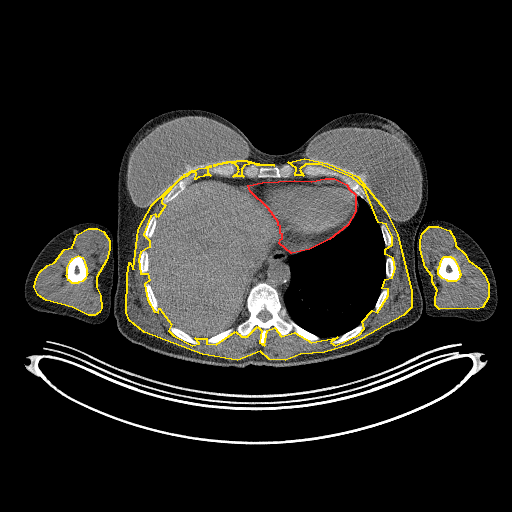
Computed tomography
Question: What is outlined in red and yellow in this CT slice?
Answer: red: pericardium; yellow: muscle.
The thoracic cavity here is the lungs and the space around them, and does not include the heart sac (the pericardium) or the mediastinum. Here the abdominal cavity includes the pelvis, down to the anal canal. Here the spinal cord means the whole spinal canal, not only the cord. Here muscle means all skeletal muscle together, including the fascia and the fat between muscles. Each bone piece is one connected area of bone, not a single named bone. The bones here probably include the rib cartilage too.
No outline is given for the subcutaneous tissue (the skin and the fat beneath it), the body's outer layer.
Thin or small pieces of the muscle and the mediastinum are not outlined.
{"pericardium":[[[325,178],[334,178],[346,184],[349,189],[355,194],[355,211],[347,225],[329,239],[309,249],[291,253],[279,243],[280,239],[282,238],[282,234],[280,233],[280,226],[278,225],[278,222],[268,208],[250,191],[248,185],[262,182],[294,180],[311,181]]],"muscle":[[[304,158],[327,163],[357,176],[385,210],[397,234],[411,291],[411,307],[403,315],[351,344],[324,352],[300,354],[285,360],[269,359],[260,351],[237,360],[202,354],[144,332],[129,320],[126,312],[127,275],[129,262],[133,269],[138,229],[152,204],[179,179],[162,197],[161,202],[165,205],[157,217],[155,214],[150,216],[143,234],[149,240],[149,247],[140,252],[138,259],[140,273],[147,273],[149,280],[144,284],[147,299],[154,311],[158,312],[159,308],[171,324],[168,330],[173,335],[192,345],[199,343],[195,338],[206,338],[206,343],[216,344],[235,331],[241,336],[247,336],[257,326],[261,330],[259,342],[264,345],[267,330],[274,327],[281,336],[294,332],[311,342],[337,337],[330,342],[335,345],[359,334],[364,328],[362,321],[372,310],[377,312],[388,295],[388,289],[382,288],[385,279],[392,277],[395,268],[393,258],[385,254],[385,249],[392,244],[392,236],[386,224],[378,222],[364,187],[352,177],[319,164],[305,164],[299,169],[303,175],[295,175],[296,168],[288,162]],{"outer":[[88,228],[97,228],[103,231],[109,240],[109,249],[106,260],[96,277],[96,287],[100,295],[101,308],[99,312],[94,315],[88,315],[72,307],[46,300],[38,295],[34,287],[36,278],[40,271],[47,265],[54,262],[64,249],[72,247],[77,234]],"hole":[[78,255],[82,257],[84,261],[85,266],[86,267],[86,272],[87,273],[86,274],[85,278],[82,281],[78,282],[77,283],[72,283],[69,280],[68,280],[67,276],[66,275],[67,273],[67,267],[70,261],[72,259],[72,258]]},{"outer":[[429,226],[438,226],[449,230],[454,238],[455,245],[464,253],[468,260],[479,268],[484,274],[488,284],[488,297],[482,307],[477,309],[467,308],[439,309],[435,305],[435,297],[437,290],[432,282],[432,276],[425,267],[420,249],[420,240],[422,233]],"hole":[[444,256],[450,256],[451,257],[452,257],[454,259],[454,260],[458,267],[458,269],[459,270],[459,272],[460,273],[460,275],[459,276],[458,279],[455,281],[448,281],[447,280],[442,278],[438,274],[438,268],[440,265],[440,262],[441,261],[442,258]]},[[237,160],[246,160],[247,161],[250,161],[251,162],[253,162],[254,163],[258,163],[259,164],[274,165],[257,165],[254,163],[249,163],[248,164],[244,165],[241,169],[241,174],[243,176],[233,176],[235,174],[236,174],[239,170],[238,169],[238,167],[234,163],[232,163],[231,162],[226,162],[225,163],[222,163],[221,164],[217,164],[216,165],[213,165],[215,165],[216,164],[219,163],[222,163],[223,162],[227,162],[228,161],[236,161]],[[207,166],[211,166],[209,166],[207,168],[207,172],[210,175],[204,175],[203,176],[198,177],[195,179],[196,173],[195,172],[190,172],[186,176],[182,178],[180,178],[181,178],[182,176],[184,175],[184,174],[191,170],[194,170],[198,168],[206,167]]],"breast_implant":[[[186,116],[206,117],[225,125],[234,131],[245,142],[248,147],[249,156],[246,159],[228,160],[212,165],[191,169],[172,182],[169,187],[150,205],[146,206],[136,205],[131,198],[127,186],[129,159],[133,149],[151,130],[158,125],[176,118]],[[345,127],[373,128],[387,132],[391,134],[398,141],[404,144],[417,159],[421,172],[421,200],[416,211],[408,219],[404,221],[393,220],[389,216],[373,192],[361,178],[357,175],[327,162],[313,160],[307,157],[305,151],[309,144],[317,136],[328,130]]],"bones":[{"outer":[[259,282],[266,282],[275,288],[291,319],[319,339],[311,341],[294,331],[281,335],[271,326],[266,330],[265,343],[262,344],[262,330],[255,325],[247,335],[241,335],[235,330],[220,342],[206,342],[207,338],[234,327],[246,317],[246,299],[250,289]],"hole":[[262,310],[266,310],[267,311],[268,311],[270,313],[270,314],[271,315],[271,317],[269,319],[268,319],[267,320],[266,320],[265,321],[263,321],[261,319],[260,319],[257,316],[257,315]]},[[305,165],[319,165],[323,166],[329,169],[337,171],[342,174],[345,174],[352,178],[363,187],[365,190],[365,196],[367,201],[365,199],[358,196],[350,189],[344,181],[338,177],[327,176],[326,175],[319,175],[318,176],[310,177],[302,174],[300,169]],[[286,163],[292,165],[295,168],[296,170],[295,171],[295,174],[293,176],[291,176],[290,177],[246,177],[242,174],[242,169],[243,167],[249,164],[254,164],[257,166],[274,166],[275,165],[277,166],[281,166],[283,164],[285,164]],[[78,255],[82,257],[84,261],[85,266],[86,267],[86,272],[87,273],[86,274],[85,278],[82,281],[78,282],[77,283],[72,283],[69,280],[68,280],[67,276],[66,275],[67,273],[67,267],[70,261],[72,259],[72,258]],[[444,256],[450,256],[451,257],[452,257],[454,259],[454,260],[458,267],[458,269],[459,270],[459,272],[460,273],[460,275],[459,276],[458,279],[455,281],[448,281],[447,280],[442,278],[438,274],[438,268],[440,265],[440,262],[441,261],[442,258]],[[190,173],[195,173],[195,176],[194,177],[194,179],[192,181],[191,181],[177,196],[176,196],[171,201],[168,202],[166,204],[164,204],[162,202],[162,200],[163,199],[163,197],[170,190],[170,189],[180,179],[182,179],[183,178],[186,177]],[[226,163],[231,163],[232,164],[234,164],[237,167],[237,169],[238,170],[237,172],[232,176],[226,177],[225,176],[220,176],[219,175],[211,175],[208,172],[208,168],[209,167],[211,167],[212,166],[216,166],[217,165],[221,165],[222,164],[225,164]],[[360,324],[362,324],[363,325],[363,328],[361,330],[361,331],[355,336],[354,336],[345,341],[343,341],[340,343],[336,343],[335,344],[334,344],[331,342],[334,339],[337,338],[339,336],[342,335],[344,333],[353,329],[355,327],[356,327]],[[170,326],[174,326],[182,330],[184,332],[189,334],[192,337],[193,337],[196,340],[197,340],[198,341],[198,343],[196,344],[192,344],[189,342],[187,342],[179,338],[177,336],[173,334],[169,330],[169,327]],[[146,283],[149,283],[149,284],[151,286],[151,288],[153,291],[153,293],[157,300],[157,303],[158,304],[158,311],[155,311],[155,310],[152,307],[152,306],[148,299],[148,297],[146,294],[146,291],[145,290],[145,284]],[[143,250],[146,250],[147,251],[147,253],[148,254],[148,271],[146,273],[141,273],[141,272],[140,271],[140,270],[139,269],[139,259],[140,258],[140,255],[141,254],[141,252]],[[152,215],[155,215],[156,216],[156,223],[155,224],[155,229],[153,232],[153,234],[152,235],[152,236],[149,239],[146,239],[144,236],[144,234],[145,233],[145,230],[146,229],[146,227],[148,224],[148,222],[149,221],[149,220],[150,219],[150,218]],[[382,223],[384,223],[385,224],[385,225],[391,236],[391,244],[390,245],[390,246],[389,246],[388,247],[386,247],[385,246],[385,244],[384,243],[384,240],[383,239],[383,236],[382,235],[382,232],[381,231],[381,228],[380,227],[380,224],[381,224]],[[388,256],[390,256],[392,258],[392,259],[393,260],[393,263],[394,264],[394,268],[393,269],[393,273],[392,274],[392,275],[391,276],[391,277],[390,278],[387,278],[386,277],[386,274],[385,273],[385,263],[386,262],[386,258]],[[384,288],[386,288],[387,289],[387,295],[386,296],[386,297],[385,298],[385,300],[384,301],[383,304],[381,306],[381,307],[377,311],[376,311],[375,312],[374,311],[374,306],[377,301],[377,299],[378,298],[378,297],[379,296],[382,289],[383,289]]],"right_arm":[[[84,222],[94,222],[105,226],[111,232],[114,245],[113,281],[111,288],[111,296],[113,297],[113,313],[113,310],[111,309],[108,317],[103,322],[95,325],[91,325],[64,315],[34,310],[28,305],[24,297],[24,284],[27,273],[42,248],[61,231]]],"abdominal_cavity":[[[198,178],[213,178],[238,186],[247,185],[249,191],[273,216],[281,234],[281,238],[259,262],[253,274],[251,287],[245,299],[245,308],[237,323],[208,337],[194,337],[172,325],[159,307],[148,275],[150,239],[156,229],[157,218],[160,212],[191,182]]],"mediastinum":[[[278,243],[281,247],[291,254],[299,252],[292,254],[288,259],[290,280],[289,281],[289,285],[282,296],[282,299],[281,299],[277,289],[266,281],[259,281],[252,286],[252,281],[254,279],[254,274],[258,266],[260,265],[260,262],[268,255],[270,250]],[[356,195],[357,196],[357,201],[358,202],[358,208],[357,209],[357,211],[356,212],[356,214],[355,215],[355,217],[353,219],[353,220],[349,224],[349,225],[345,229],[344,229],[348,225],[348,224],[352,219],[352,218],[353,217],[353,216],[356,211]]],"left_arm":[[[436,219],[448,221],[471,236],[483,250],[491,265],[497,286],[497,306],[493,314],[484,321],[470,322],[458,318],[434,317],[428,315],[424,310],[420,290],[420,288],[422,288],[422,283],[418,274],[418,265],[416,258],[416,238],[421,221],[423,223]]],"thoracic_cavity":[[[358,197],[367,202],[379,224],[385,247],[385,278],[373,306],[373,309],[359,324],[338,336],[320,337],[300,326],[294,321],[282,302],[283,296],[289,287],[291,280],[289,259],[292,255],[305,250],[309,250],[333,238],[345,230],[356,217],[359,208]]],"spinal_cord":[[[262,310],[266,310],[267,311],[268,311],[270,313],[270,314],[271,315],[271,317],[269,319],[268,319],[267,320],[266,320],[265,321],[263,321],[261,319],[260,319],[257,316],[257,315]]],"torso":[[[176,109],[215,113],[270,154],[296,149],[324,124],[346,114],[373,113],[399,125],[417,145],[427,172],[427,205],[415,238],[423,307],[419,319],[355,353],[281,367],[199,363],[126,339],[113,314],[118,277],[120,163],[131,138],[145,122]]]}